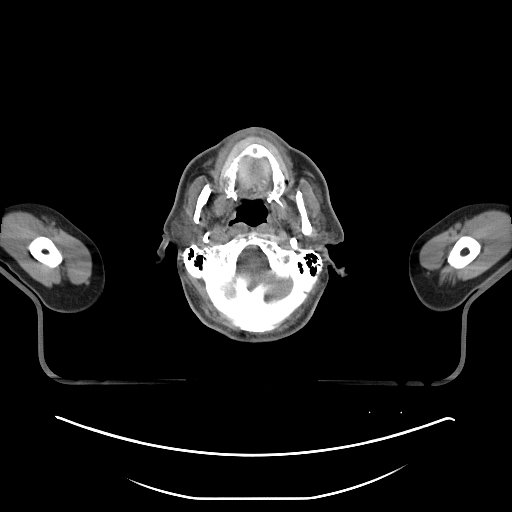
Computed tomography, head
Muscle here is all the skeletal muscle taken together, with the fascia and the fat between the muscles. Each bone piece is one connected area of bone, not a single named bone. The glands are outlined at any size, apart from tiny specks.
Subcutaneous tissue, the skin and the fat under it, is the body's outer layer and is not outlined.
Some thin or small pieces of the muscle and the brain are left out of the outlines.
{"bones":[{"outer":[[253,230],[275,236],[285,249],[290,247],[289,238],[293,236],[301,247],[317,250],[323,261],[304,301],[273,329],[263,332],[242,330],[220,312],[208,297],[203,280],[186,271],[181,257],[183,250],[193,243],[202,246],[207,231],[210,244],[223,244]],"hole":[[248,246],[256,246],[265,256],[269,268],[268,272],[270,274],[273,274],[277,279],[290,279],[291,286],[285,295],[279,298],[266,300],[265,295],[271,285],[263,281],[260,281],[252,288],[249,288],[250,279],[243,273],[238,273],[237,271],[239,256]]},[[249,136],[260,137],[271,143],[284,164],[289,184],[279,198],[283,207],[274,200],[268,202],[266,199],[266,191],[272,188],[272,180],[270,164],[265,157],[245,155],[241,158],[236,173],[237,199],[226,197],[226,180],[221,177],[223,166],[234,145]],[[462,235],[469,235],[475,238],[480,243],[481,245],[481,248],[480,249],[479,253],[475,257],[475,258],[473,259],[468,264],[467,264],[462,268],[455,268],[451,266],[447,262],[447,256],[455,242],[460,237],[460,236]],[[37,236],[45,236],[49,238],[54,243],[56,247],[60,251],[62,255],[62,261],[57,266],[55,267],[53,267],[52,268],[51,267],[49,267],[47,265],[37,260],[30,253],[28,249],[28,245],[29,243],[34,238],[35,238]],[[297,190],[299,190],[302,194],[302,197],[303,198],[303,201],[304,202],[304,205],[305,206],[306,213],[307,214],[308,219],[311,224],[311,235],[310,236],[306,236],[304,235],[301,231],[301,215],[297,208],[296,202],[295,201],[295,194]],[[207,183],[210,185],[210,187],[211,188],[211,192],[209,195],[209,197],[206,203],[202,207],[200,211],[200,214],[199,215],[199,223],[197,224],[193,221],[193,215],[194,214],[194,211],[195,210],[195,206],[196,205],[197,198],[202,188],[204,185]]],"head":[{"outer":[[251,126],[275,132],[309,156],[323,174],[344,236],[326,248],[334,263],[346,271],[343,277],[328,267],[327,285],[302,328],[276,341],[256,343],[231,339],[200,321],[183,292],[175,245],[170,243],[162,261],[156,262],[163,225],[188,162],[228,134]],"hole":[[244,200],[260,200],[265,207],[267,212],[265,217],[265,221],[261,223],[259,223],[256,225],[250,225],[247,223],[245,223],[243,221],[237,221],[232,224],[230,224],[230,221],[236,217],[236,212],[237,211],[237,209],[238,207],[241,205],[242,202]]}],"brain":[[[248,246],[256,246],[265,256],[269,268],[268,272],[270,274],[273,274],[277,279],[290,279],[291,286],[285,295],[279,298],[266,300],[265,295],[271,285],[263,281],[260,281],[252,288],[249,288],[250,279],[243,273],[238,273],[237,271],[239,256]]],"right_arm":[[[26,201],[45,204],[59,211],[88,235],[99,249],[105,270],[105,284],[99,299],[91,307],[86,310],[77,313],[61,313],[49,309],[44,305],[32,290],[11,269],[0,262],[0,228],[2,224],[2,217],[4,208],[6,205],[9,204]]],"muscle":[{"outer":[[249,131],[262,132],[274,138],[296,166],[308,170],[315,177],[321,190],[324,215],[320,211],[313,218],[312,225],[302,192],[296,190],[294,201],[300,215],[300,231],[310,242],[318,241],[317,249],[301,246],[293,235],[288,238],[289,247],[285,248],[275,235],[259,233],[253,229],[246,233],[238,233],[223,243],[210,243],[211,231],[207,230],[201,237],[203,244],[195,243],[195,227],[183,208],[189,178],[231,138]],"holes":[[[249,136],[260,137],[271,143],[284,164],[289,184],[279,198],[283,207],[274,200],[268,202],[266,199],[266,191],[272,188],[272,180],[270,164],[265,157],[245,155],[241,158],[236,173],[237,199],[226,197],[226,180],[221,177],[223,166],[234,145]],[[244,200],[260,200],[265,207],[267,212],[265,217],[265,221],[261,223],[259,223],[256,225],[250,225],[247,223],[245,223],[243,221],[237,221],[232,224],[230,224],[230,221],[236,217],[236,212],[237,211],[237,209],[238,207],[241,205],[242,202]],[[207,183],[210,185],[210,187],[211,188],[211,192],[209,195],[209,197],[206,203],[202,207],[200,211],[200,214],[199,215],[199,223],[197,224],[193,221],[193,215],[194,214],[194,211],[195,210],[195,206],[196,205],[197,198],[202,188],[204,185]]]},{"outer":[[12,211],[25,211],[32,214],[45,216],[52,220],[54,220],[58,225],[68,233],[79,239],[88,248],[92,259],[92,274],[89,285],[64,290],[62,289],[52,290],[44,287],[31,278],[21,268],[17,262],[0,246],[0,228],[2,224],[3,214]],"hole":[[37,236],[45,236],[49,238],[54,243],[56,247],[60,251],[62,255],[62,261],[57,266],[55,267],[53,267],[52,268],[51,267],[49,267],[47,265],[37,260],[30,253],[28,249],[28,245],[29,243],[34,238],[35,238]]},{"outer":[[491,209],[501,210],[505,212],[511,219],[511,249],[508,253],[491,269],[480,275],[477,278],[475,278],[459,287],[442,288],[428,280],[425,277],[419,265],[419,252],[424,243],[433,236],[442,232],[451,226],[455,222],[460,221],[474,214],[478,214]],"hole":[[462,235],[469,235],[475,238],[480,243],[481,245],[481,248],[480,249],[479,253],[475,257],[475,258],[473,259],[468,264],[467,264],[462,268],[455,268],[451,266],[447,262],[447,256],[455,242],[460,237],[460,236]]},[[185,270],[191,277],[202,280],[207,297],[220,313],[240,330],[250,332],[251,333],[263,333],[264,332],[273,330],[305,301],[320,274],[321,273],[321,277],[320,283],[309,305],[302,316],[294,324],[276,332],[270,333],[248,333],[229,329],[209,319],[199,307],[196,298],[187,283]]],"left_arm":[[[477,202],[501,202],[505,203],[508,206],[509,217],[511,219],[511,261],[494,277],[487,280],[482,286],[468,295],[465,301],[457,307],[443,312],[437,312],[430,310],[419,301],[409,280],[408,257],[411,246],[416,238],[422,232],[448,213],[458,207]]],"parotid_glands":[[[181,207],[182,207],[184,211],[187,214],[189,219],[191,221],[194,227],[194,242],[193,242],[190,245],[188,245],[186,246],[184,248],[180,248],[179,245],[175,240],[172,234],[172,232],[171,231],[171,227],[170,226],[171,225],[172,220],[176,212]],[[320,212],[321,212],[321,213],[326,218],[326,219],[336,233],[337,236],[333,239],[325,239],[324,238],[323,239],[320,239],[316,241],[310,241],[308,239],[308,237],[310,237],[312,235],[312,226],[313,225],[313,221],[314,220],[314,218]]]}